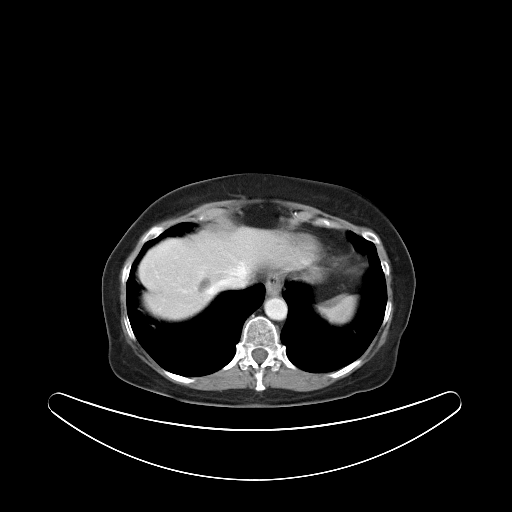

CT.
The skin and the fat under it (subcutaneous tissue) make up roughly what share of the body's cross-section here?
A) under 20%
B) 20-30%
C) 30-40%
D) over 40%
B) 20-30%
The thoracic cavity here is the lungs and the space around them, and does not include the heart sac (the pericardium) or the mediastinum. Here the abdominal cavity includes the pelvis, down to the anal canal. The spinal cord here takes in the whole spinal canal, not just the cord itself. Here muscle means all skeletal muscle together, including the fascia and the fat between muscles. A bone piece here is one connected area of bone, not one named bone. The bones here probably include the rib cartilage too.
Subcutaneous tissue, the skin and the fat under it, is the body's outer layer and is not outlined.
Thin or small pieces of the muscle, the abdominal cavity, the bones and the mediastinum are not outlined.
{"pericardium":[[[292,228],[293,229],[304,229],[314,234],[321,240],[324,246],[324,256],[323,258],[317,264],[317,265],[316,265],[314,267],[310,269],[307,269],[306,270],[303,270],[302,271],[292,271],[291,270],[288,270],[288,263],[290,259],[290,231],[289,230]]],"mediastinum":[[[299,219],[316,226],[345,230],[356,252],[339,255],[317,283],[285,282],[282,296],[287,314],[279,333],[263,315],[248,318],[262,304],[265,295],[264,286],[254,282],[287,270],[310,270],[324,258],[325,246],[319,237],[304,228],[293,228],[298,225]]],"spinal_cord":[[[258,348],[260,348],[261,349],[263,349],[264,350],[265,350],[267,353],[267,355],[266,356],[266,357],[263,360],[263,361],[262,361],[260,363],[258,363],[253,358],[253,357],[252,356],[252,351],[253,350],[254,350],[255,349],[257,349]]],"abdominal_cavity":[[[264,204],[283,208],[298,219],[297,225],[288,230],[289,259],[285,272],[278,271],[241,289],[222,292],[205,311],[185,323],[160,322],[138,309],[138,284],[134,274],[140,258],[152,244],[166,236],[191,230],[194,224],[189,221],[208,220],[247,206]],[[351,252],[361,254],[368,262],[369,269],[366,277],[367,291],[365,294],[365,303],[363,310],[351,325],[343,329],[331,330],[322,325],[310,308],[308,298],[310,287],[307,285],[317,284],[319,279],[325,274],[330,264],[334,260],[341,255]]],"bones":[{"outer":[[254,316],[263,316],[275,326],[279,340],[285,346],[288,359],[297,367],[293,369],[283,363],[275,371],[270,366],[265,367],[261,379],[265,389],[261,391],[255,390],[255,370],[251,366],[242,369],[236,363],[228,369],[220,370],[233,358],[243,326]],"hole":[[258,348],[260,348],[261,349],[263,349],[264,350],[265,350],[267,353],[267,355],[266,356],[266,357],[263,360],[263,361],[262,361],[260,363],[258,363],[253,358],[253,357],[252,356],[252,351],[253,350],[254,350],[255,349],[257,349]]},[[316,217],[323,217],[329,220],[338,222],[344,226],[347,226],[348,227],[351,227],[353,228],[355,232],[349,229],[348,230],[346,229],[338,229],[333,227],[327,227],[323,225],[316,225],[315,224],[313,224],[312,223],[312,221],[313,219]],[[360,357],[361,357],[361,361],[360,363],[357,366],[354,367],[351,370],[350,370],[342,376],[340,376],[337,378],[333,378],[332,377],[328,376],[328,373],[336,371],[346,366],[348,364],[351,363],[353,361],[354,361],[356,359]],[[156,225],[162,225],[164,227],[165,227],[165,229],[159,235],[158,235],[155,238],[153,238],[152,239],[150,239],[149,240],[146,241],[141,246],[141,247],[141,240],[142,239],[142,238],[144,236],[144,235],[146,233],[146,232],[152,226],[155,226]],[[213,208],[223,208],[228,211],[226,213],[224,213],[222,215],[218,215],[217,216],[214,216],[213,217],[212,217],[211,218],[209,218],[208,219],[204,219],[203,220],[196,220],[197,217],[200,214],[203,213],[205,211],[206,211],[209,209],[212,209]],[[163,368],[175,374],[178,374],[179,375],[181,375],[182,376],[185,376],[186,377],[193,377],[195,379],[195,380],[193,382],[190,382],[186,384],[184,383],[182,383],[181,382],[178,382],[172,379],[167,375],[166,375],[163,372],[163,370],[162,369]],[[363,230],[370,230],[371,231],[374,232],[379,238],[379,240],[380,241],[380,243],[379,244],[379,245],[375,245],[371,241],[369,241],[368,240],[367,240],[361,235],[360,235],[360,233],[361,232],[361,231],[362,231]],[[130,261],[131,261],[132,262],[132,265],[131,266],[131,268],[130,269],[130,271],[129,272],[129,275],[128,276],[128,278],[126,281],[125,286],[122,283],[122,282],[121,281],[121,276],[122,275],[122,269],[123,268],[124,265],[126,263],[127,263]],[[126,313],[127,313],[127,315],[129,319],[129,322],[130,323],[131,328],[136,338],[136,341],[134,341],[129,336],[127,332],[127,330],[126,329],[126,327],[125,326],[125,324],[123,320],[123,316]],[[387,300],[390,300],[391,301],[391,303],[392,304],[392,308],[391,309],[391,311],[389,314],[389,317],[388,318],[387,321],[384,325],[381,326],[381,325],[382,324],[382,322],[383,321],[384,314],[385,313],[385,308],[386,307],[386,303],[387,302]],[[295,211],[298,211],[299,212],[308,212],[309,213],[310,213],[312,215],[312,218],[311,218],[310,219],[309,219],[308,220],[306,220],[305,221],[304,221],[303,220],[301,220],[299,218],[298,218],[298,217],[297,216],[296,216],[293,213]]],"muscle":[[[381,241],[390,261],[394,307],[392,321],[385,343],[367,362],[349,375],[325,387],[310,391],[266,388],[262,379],[265,368],[267,367],[270,367],[275,372],[283,364],[293,370],[299,368],[312,373],[329,372],[327,373],[328,377],[337,379],[361,363],[361,356],[374,339],[380,327],[386,324],[393,308],[392,301],[387,296],[386,278],[390,274],[390,266],[386,260],[380,259],[376,247],[380,245]],[[121,270],[120,281],[121,282],[121,283],[125,287],[126,308],[122,320],[126,332],[162,368],[166,376],[186,385],[193,383],[196,380],[194,377],[218,370],[225,371],[238,364],[242,370],[249,367],[254,370],[254,389],[193,389],[168,380],[143,362],[126,342],[121,328],[119,302],[119,276]],[[241,196],[248,199],[281,199],[311,205],[357,225],[368,227],[372,230],[363,229],[358,234],[356,233],[353,227],[344,225],[338,221],[323,216],[316,216],[313,218],[313,215],[308,211],[295,210],[291,212],[283,207],[272,203],[251,204],[242,207],[239,210],[232,211],[229,211],[223,207],[213,207],[200,213],[195,220],[181,221],[167,228],[162,224],[153,225],[166,218],[184,213],[204,202],[223,199],[236,199]],[[145,231],[146,231],[145,233],[143,235],[143,236],[140,240],[140,249],[137,255],[135,257],[134,260],[133,261],[130,260],[126,262],[124,264],[124,262],[126,258],[132,251],[137,241],[142,235],[142,234]]],"thoracic_cavity":[[[181,222],[192,223],[191,229],[158,239],[135,266],[137,309],[142,314],[164,324],[185,324],[205,312],[226,291],[254,284],[261,284],[264,289],[261,304],[242,326],[232,358],[216,371],[197,376],[162,367],[137,340],[126,307],[126,284],[142,246]],[[349,230],[376,248],[386,283],[382,321],[359,357],[333,371],[306,371],[289,359],[286,346],[280,340],[288,314],[283,296],[285,284],[294,281],[309,287],[309,308],[324,328],[339,331],[351,326],[364,310],[370,266],[367,256],[354,248],[347,234]]],"torso":[[[242,172],[282,174],[350,188],[375,203],[396,228],[413,263],[415,293],[401,337],[395,370],[383,385],[344,398],[306,405],[219,407],[160,395],[127,383],[112,372],[107,359],[108,342],[101,300],[102,273],[111,251],[139,214],[158,197],[188,183]]]}